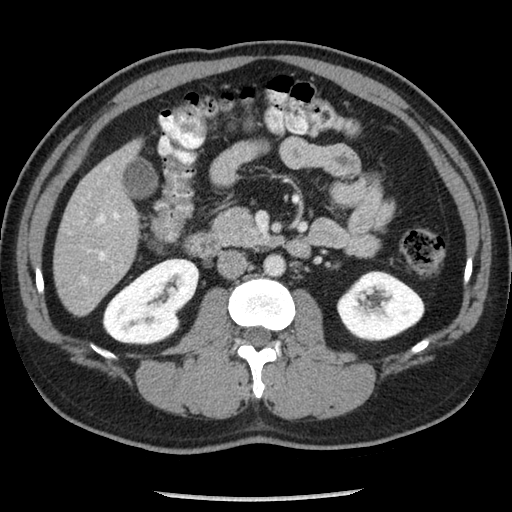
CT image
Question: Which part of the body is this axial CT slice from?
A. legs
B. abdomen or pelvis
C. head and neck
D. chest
Answer: B. abdomen or pelvis
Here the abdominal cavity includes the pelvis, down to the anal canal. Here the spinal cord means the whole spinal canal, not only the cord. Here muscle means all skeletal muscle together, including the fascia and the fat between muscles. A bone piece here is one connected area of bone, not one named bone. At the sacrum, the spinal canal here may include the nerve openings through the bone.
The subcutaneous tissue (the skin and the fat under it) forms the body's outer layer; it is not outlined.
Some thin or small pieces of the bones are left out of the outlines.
The abdominal cavity is outlined by 262,59 328,79 416,135 463,227 456,316 404,350 361,359 326,344 322,310 305,288 291,293 279,280 257,276 230,293 210,287 189,329 152,353 115,353 61,332 46,301 43,246 57,198 96,134 159,94. The muscle is outlined by 280,54 305,56 340,65 384,84 455,146 478,184 491,230 491,264 483,309 472,329 440,349 434,359 389,375 375,385 373,393 364,403 342,415 287,423 272,413 261,400 257,403 250,402 238,414 224,419 191,419 175,415 147,402 128,383 71,361 67,353 41,338 29,325 20,295 16,267 20,219 32,185 57,145 133,81 184,62 238,55 with a hole at 262,59 328,79 410,128 453,197 472,272 456,316 408,357 409,347 372,360 330,348 320,306 305,288 293,289 294,317 277,333 282,354 263,365 264,389 257,398 247,361 231,351 240,328 228,312 229,289 210,287 189,329 173,345 152,353 116,352 118,358 112,359 56,327 45,293 37,291 35,267 42,267 57,198 103,126 184,83. The spinal cord is outlined by 254,326 261,326 265,328 267,330 271,331 272,332 272,335 273,336 272,337 271,341 267,345 263,346 259,349 257,349 253,345 249,343 247,343 246,341 242,337 242,331 244,328 246,327 253,327. The bones appear in 3 outlined pieces: piece 1: 257,277 282,283 289,290 295,305 292,321 277,333 281,341 281,357 266,362 261,369 264,389 259,398 252,391 253,380 247,361 235,350 231,351 234,339 240,335 240,328 231,318 227,308 232,290 239,283, around a hole outlined by 254,326 261,326 265,328 267,330 271,331 272,332 272,335 273,336 272,337 271,341 267,345 263,346 259,349 257,349 253,345 249,343 247,343 246,341 242,337 242,331 244,328 246,327 253,327; piece 2: 89,342 93,342 98,346 100,346 105,349 107,349 111,351 113,353 114,353 117,356 118,358 117,359 112,359 111,358 105,358 103,357 101,355 98,354 95,351 94,351 90,347 88,343; piece 3: 427,336 429,337 429,343 428,345 424,349 408,357 407,355 408,354 408,352 410,348 416,343 417,343 420,340 421,340 423,338. The torso is outlined by 254,40 321,44 391,68 449,115 494,179 511,239 505,312 471,394 456,412 434,425 351,449 253,443 202,453 161,452 64,419 46,403 26,369 4,303 0,238 8,196 31,152 77,99 123,67 167,50.